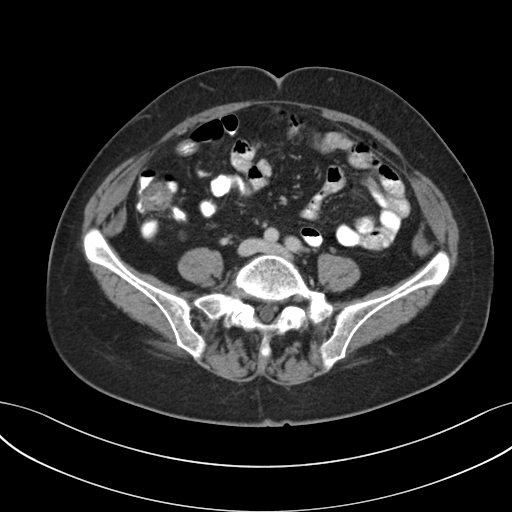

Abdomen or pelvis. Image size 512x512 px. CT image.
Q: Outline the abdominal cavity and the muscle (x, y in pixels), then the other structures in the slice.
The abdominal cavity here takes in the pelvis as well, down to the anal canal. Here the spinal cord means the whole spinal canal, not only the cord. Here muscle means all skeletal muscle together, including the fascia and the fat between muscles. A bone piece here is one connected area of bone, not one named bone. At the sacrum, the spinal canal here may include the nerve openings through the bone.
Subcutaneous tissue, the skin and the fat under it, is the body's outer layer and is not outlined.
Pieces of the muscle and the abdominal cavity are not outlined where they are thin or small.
A: Outlined structures:
abdominal cavity: 272,103 310,110 384,156 404,174 434,238 436,249 427,262 390,286 330,302 322,291 308,286 291,261 278,254 253,257 237,270 229,288 205,294 180,290 122,259 110,238 126,224 127,195 158,148 217,118; inner edge: 198,247 206,247 212,250 215,250 219,252 221,255 223,259 223,270 221,273 221,278 219,282 213,283 212,284 208,284 201,287 199,285 195,284 185,279 178,271 177,264 180,257 186,251 190,249 197,248
muscle 1: 268,99 326,107 375,127 442,192 459,231 457,263 430,302 407,323 359,350 362,355 374,357 372,361 350,368 339,365 332,368 346,356 354,334 372,315 411,292 441,284 448,274 450,257 444,249 436,251 434,235 424,222 408,178 384,155 343,128 310,109 288,103 252,104 164,141 135,176 125,199 125,224 109,242 121,259 139,272 151,274 180,291 204,294 191,304 210,320 222,318 226,328 258,331 261,334 258,354 263,358 271,353 273,334 298,330 307,320 318,324 332,315 332,303 390,287 425,264 391,291 344,306 334,317 331,334 318,348 327,372 290,386 274,383 263,376 238,383 196,363 194,360 199,361 207,343 192,325 191,304 129,270 96,226 83,235 85,257 149,298 167,320 176,345 192,358 163,359 149,353 146,349 151,347 143,340 156,335 106,297 78,244 86,203 119,164 153,144 188,116 221,104
muscle 2: 198,247 206,247 212,250 215,250 219,252 221,255 223,259 223,270 221,273 221,278 219,282 213,283 212,284 208,284 201,287 199,285 195,284 185,279 178,271 177,264 180,257 186,251 190,249 197,248
muscle 3: 324,252 334,255 335,256 342,256 343,257 351,258 357,264 360,270 360,276 358,280 351,287 339,292 332,292 331,291 325,291 324,290 324,286 322,284 318,283 318,275 317,274 317,258 320,254
bones 1: 266,254 291,262 311,290 324,294 333,311 318,323 307,319 298,329 273,333 269,340 270,353 263,357 259,354 262,334 258,330 234,325 226,327 222,317 210,319 192,302 206,294 229,292 238,270 253,258, around a hole outlined by 237,288 245,293 252,294 254,297 262,299 264,302 279,301 292,296 301,296 305,298 306,301 303,304 299,303 290,304 279,308 272,320 270,322 264,323 259,320 256,309 249,302 244,302 235,295 234,291
bones 2: 92,227 96,227 100,230 114,254 134,275 155,287 183,298 190,304 191,325 206,343 205,348 198,361 177,345 174,333 168,320 149,297 116,273 102,265 90,261 86,257 83,246 83,238 86,232
bones 3: 439,250 444,250 449,257 449,269 443,281 436,285 428,285 411,291 388,303 372,314 353,334 346,348 345,356 326,371 322,363 319,348 321,344 332,334 336,315 344,307 350,304 380,297 391,292 415,275
spinal cord: 237,288 245,293 252,294 254,297 262,299 264,302 279,301 292,296 301,296 305,298 306,301 303,304 299,303 290,304 279,308 272,320 270,322 264,323 259,320 256,309 249,302 244,302 235,295 234,291
torso: 230,65 257,66 276,76 327,66 372,78 419,111 460,161 489,222 494,285 481,345 452,376 347,418 243,427 183,420 122,402 83,382 58,357 44,325 46,267 56,224 75,184 110,137 159,94 191,75